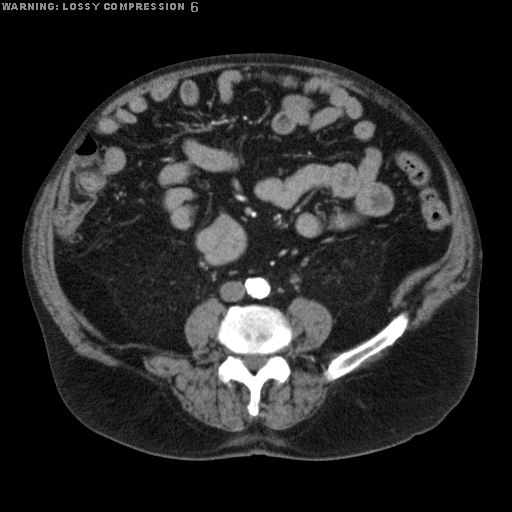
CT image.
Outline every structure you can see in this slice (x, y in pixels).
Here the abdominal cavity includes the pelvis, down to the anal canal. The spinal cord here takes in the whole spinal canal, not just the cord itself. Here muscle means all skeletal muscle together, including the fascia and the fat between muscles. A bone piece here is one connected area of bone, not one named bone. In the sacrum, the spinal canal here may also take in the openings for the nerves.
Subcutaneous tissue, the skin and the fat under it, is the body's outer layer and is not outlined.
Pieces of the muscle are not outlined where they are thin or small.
{"bones":[{"outer":[[249,304],[279,309],[292,330],[290,343],[279,352],[290,366],[289,377],[280,385],[274,379],[268,379],[263,384],[256,416],[251,416],[247,411],[248,388],[234,380],[231,380],[228,386],[217,376],[218,366],[229,353],[216,339],[220,321],[230,306]],"hole":[[248,354],[258,354],[259,355],[264,355],[265,356],[266,356],[266,361],[264,363],[264,364],[263,365],[262,365],[258,369],[257,369],[255,371],[251,371],[245,365],[245,364],[244,363],[244,361],[242,358],[242,356],[243,356],[244,355],[247,355]]},[[397,314],[409,316],[409,321],[407,327],[403,334],[399,337],[392,345],[387,346],[376,354],[369,357],[357,368],[335,380],[328,381],[324,377],[323,375],[323,370],[327,367],[328,363],[331,359],[334,358],[341,352],[353,348],[376,334]]],"torso":[[[241,52],[324,59],[385,86],[429,124],[467,188],[483,251],[475,371],[462,399],[445,418],[406,442],[325,461],[263,454],[200,461],[172,459],[133,449],[90,430],[69,411],[56,389],[21,261],[23,226],[39,185],[81,122],[122,85],[174,62]]],"muscle":[[[229,62],[276,62],[324,68],[376,90],[397,104],[423,128],[459,181],[474,238],[472,273],[465,287],[442,303],[427,322],[401,337],[410,316],[396,313],[392,308],[395,291],[408,276],[444,255],[453,224],[447,180],[438,158],[392,113],[323,73],[276,65],[234,65],[152,85],[98,118],[63,174],[54,199],[53,262],[63,293],[101,337],[114,345],[150,347],[158,353],[169,352],[191,361],[193,350],[184,333],[185,323],[194,308],[209,298],[217,299],[226,310],[219,321],[215,339],[228,353],[217,366],[216,376],[228,387],[234,381],[247,388],[246,411],[251,417],[259,414],[264,384],[274,380],[280,386],[292,372],[288,360],[280,354],[293,339],[292,327],[284,314],[288,306],[300,297],[320,303],[333,322],[322,344],[307,354],[325,356],[340,352],[322,370],[328,382],[340,379],[314,415],[281,430],[269,428],[260,420],[238,431],[207,425],[182,409],[165,384],[80,355],[43,304],[30,268],[29,235],[34,210],[43,189],[57,173],[74,142],[102,109],[121,94],[160,75],[194,66]],[[387,347],[389,347],[389,348],[387,350],[387,351],[380,358],[379,358],[377,360],[370,363],[369,364],[369,365],[368,365],[365,367],[362,367],[357,370],[355,370],[356,369],[357,369],[365,361],[366,361],[369,358],[376,355],[378,353],[379,353]]],"abdominal_cavity":[[[234,66],[328,76],[405,124],[443,170],[452,224],[446,250],[394,291],[396,314],[348,349],[308,354],[327,339],[334,320],[323,304],[300,296],[284,313],[205,299],[183,326],[191,360],[114,344],[60,285],[55,199],[94,124],[152,86]]],"spinal_cord":[[[248,354],[258,354],[259,355],[264,355],[265,356],[266,356],[266,361],[264,363],[264,364],[263,365],[262,365],[258,369],[257,369],[255,371],[251,371],[245,365],[245,364],[244,363],[244,361],[242,358],[242,356],[243,356],[244,355],[247,355]]]}